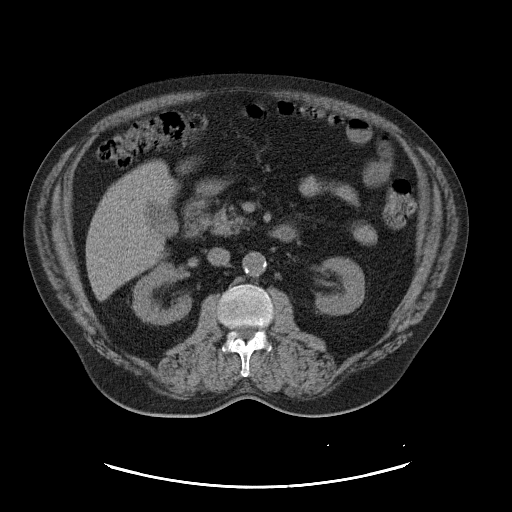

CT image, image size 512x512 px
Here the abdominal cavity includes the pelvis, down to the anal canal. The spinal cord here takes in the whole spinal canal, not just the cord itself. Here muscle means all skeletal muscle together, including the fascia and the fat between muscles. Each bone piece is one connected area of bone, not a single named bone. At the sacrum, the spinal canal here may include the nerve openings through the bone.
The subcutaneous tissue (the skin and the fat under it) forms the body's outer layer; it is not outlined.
{"muscle":[{"outer":[[233,86],[295,89],[302,92],[326,96],[345,101],[369,111],[372,111],[384,117],[401,128],[438,163],[453,194],[453,197],[456,203],[458,229],[455,246],[452,251],[452,255],[449,261],[449,266],[446,272],[443,287],[422,322],[411,336],[397,349],[389,353],[385,357],[372,365],[351,373],[333,390],[320,397],[302,400],[301,399],[287,399],[264,392],[249,381],[239,383],[223,393],[207,399],[178,399],[157,393],[126,369],[119,365],[116,365],[112,361],[102,356],[90,345],[85,338],[84,333],[69,316],[65,308],[56,297],[55,292],[47,278],[39,259],[34,236],[34,217],[37,211],[37,203],[39,200],[47,173],[76,139],[103,117],[139,101],[170,93]],"hole":[[238,92],[382,128],[415,169],[412,279],[379,339],[340,361],[299,328],[276,287],[265,328],[271,349],[252,352],[246,377],[239,354],[221,349],[229,329],[218,319],[219,293],[201,301],[191,334],[149,360],[112,341],[84,291],[71,185],[96,137]]}],"spinal_cord":[[[243,325],[245,325],[246,326],[252,326],[253,327],[255,327],[256,328],[256,330],[254,332],[253,335],[250,338],[249,338],[246,340],[245,340],[244,339],[239,337],[238,336],[238,333],[236,330],[236,328],[237,327],[239,327],[240,326],[242,326]]],"abdominal_cavity":[[[238,92],[272,96],[382,128],[397,139],[415,169],[412,279],[379,339],[340,361],[321,337],[299,328],[289,296],[276,287],[269,294],[245,282],[220,295],[208,294],[191,334],[151,360],[112,341],[84,291],[71,221],[71,185],[96,137],[157,110]]],"bones":[{"outer":[[245,283],[259,286],[267,292],[273,305],[273,313],[270,323],[265,328],[271,349],[269,351],[266,349],[254,350],[249,358],[249,375],[243,377],[240,374],[241,358],[239,354],[224,352],[221,349],[229,329],[219,321],[217,305],[221,295],[228,288]],"hole":[[243,325],[245,325],[246,326],[252,326],[253,327],[255,327],[256,328],[256,330],[254,332],[253,335],[250,338],[249,338],[246,340],[245,340],[244,339],[239,337],[238,336],[238,333],[236,330],[236,328],[237,327],[239,327],[240,326],[242,326]]}],"torso":[[[228,70],[313,76],[383,99],[433,139],[463,188],[468,242],[448,306],[399,381],[359,409],[304,417],[254,399],[241,399],[198,417],[156,417],[127,410],[91,382],[33,282],[23,246],[24,204],[37,168],[57,139],[91,109],[122,91],[173,76]]]}